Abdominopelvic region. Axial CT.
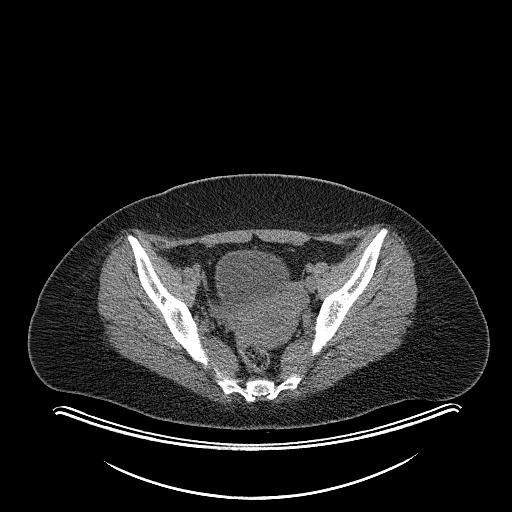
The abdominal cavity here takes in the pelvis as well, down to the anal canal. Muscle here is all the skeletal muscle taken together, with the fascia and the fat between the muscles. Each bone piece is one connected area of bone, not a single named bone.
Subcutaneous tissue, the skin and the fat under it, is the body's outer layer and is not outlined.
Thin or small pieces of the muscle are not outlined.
The torso is outlined by [[246,173],[287,174],[336,182],[393,203],[427,228],[466,277],[487,322],[489,355],[476,383],[447,400],[407,399],[351,419],[316,426],[241,430],[159,420],[43,383],[28,357],[28,326],[45,281],[69,249],[99,221],[133,201],[195,180]]. The abdominal cavity is outlined by [[253,236],[274,243],[300,245],[312,239],[353,246],[336,263],[321,261],[312,266],[321,304],[313,326],[285,348],[273,379],[238,377],[240,366],[232,349],[199,332],[189,308],[200,275],[193,267],[173,265],[159,252],[194,243],[208,247],[245,243]]. The bones appear in 3 outlined pieces: piece 1: [[128,234],[133,235],[143,247],[156,274],[166,289],[176,298],[183,301],[188,307],[198,327],[202,347],[209,358],[207,367],[204,367],[201,363],[192,359],[186,350],[175,339],[166,324],[161,311],[149,298],[144,290],[137,273],[134,254],[127,239]]; piece 2: [[383,227],[386,228],[388,230],[388,232],[383,240],[375,269],[370,280],[363,291],[357,297],[347,311],[334,335],[318,354],[311,355],[310,354],[310,347],[314,336],[313,327],[324,298],[341,287],[351,276],[359,263],[359,260],[363,251],[378,231]]; piece 3: [[215,367],[227,376],[232,378],[241,378],[244,381],[249,378],[266,378],[278,383],[291,373],[299,373],[303,376],[294,389],[283,389],[273,399],[269,400],[264,396],[258,396],[255,401],[247,402],[238,392],[228,394],[224,393],[222,388],[216,382]]. The muscle is outlined by [[381,222],[393,225],[414,261],[418,290],[412,325],[398,348],[305,399],[278,404],[256,400],[270,401],[281,391],[298,386],[304,376],[299,372],[278,382],[273,378],[283,353],[311,326],[311,356],[335,335],[374,274],[389,232],[384,226],[350,276],[323,299],[313,266],[340,262],[353,245],[312,238],[300,244],[274,242],[253,235],[245,242],[194,242],[160,250],[173,266],[193,268],[199,275],[189,307],[163,284],[139,240],[126,235],[139,282],[174,339],[204,368],[210,358],[200,332],[226,344],[239,374],[232,377],[215,366],[215,382],[225,395],[240,394],[251,403],[246,405],[231,407],[203,397],[123,357],[104,337],[97,311],[99,274],[122,229],[189,238],[249,228],[334,233]].